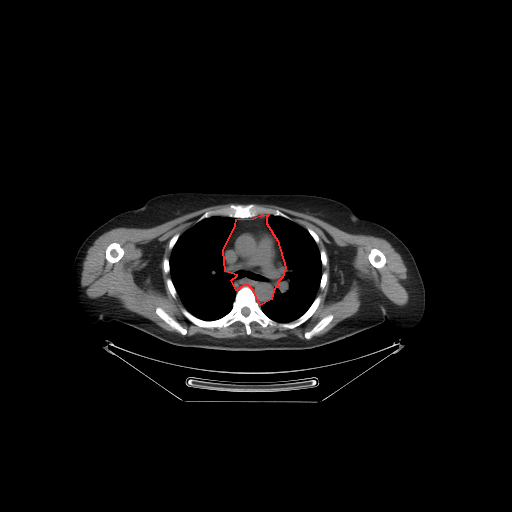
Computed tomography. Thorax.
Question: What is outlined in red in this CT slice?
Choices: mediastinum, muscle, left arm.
Answer: red: mediastinum.
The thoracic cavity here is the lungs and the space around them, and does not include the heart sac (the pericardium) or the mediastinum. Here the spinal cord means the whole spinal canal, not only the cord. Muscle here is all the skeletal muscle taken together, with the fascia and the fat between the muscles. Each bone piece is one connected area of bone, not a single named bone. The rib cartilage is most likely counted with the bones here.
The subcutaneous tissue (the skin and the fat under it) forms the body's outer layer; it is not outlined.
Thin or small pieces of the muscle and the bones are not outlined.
Outlined structures:
mediastinum: (262, 214) (268, 215) (266, 217) (266, 223) (277, 240) (285, 267) (282, 277) (277, 282) (277, 287) (276, 286) (273, 290) (271, 299) (260, 305) (253, 290) (248, 285) (243, 285) (236, 290) (231, 280) (237, 275) (225, 271) (223, 250) (235, 225) (236, 219) (253, 218)
right arm: (138, 208) (139, 208) (142, 216) (141, 229) (138, 234) (138, 237) (133, 250) (123, 268) (117, 283) (104, 305) (99, 320) (94, 323) (88, 324) (71, 317) (67, 313) (63, 306) (62, 291) (66, 285) (74, 261) (74, 258) (79, 247) (92, 231) (109, 219) (122, 212)
left arm: (356, 215) (360, 218) (367, 219) (375, 222) (391, 231) (406, 245) (412, 254) (420, 272) (425, 289) (424, 313) (420, 321) (415, 326) (410, 328) (402, 328) (395, 325) (388, 319) (386, 319) (385, 314) (380, 306) (370, 271) (363, 254) (361, 239) (359, 236) (355, 221)
muscle: (222, 204) (230, 204) (228, 206) (205, 211) (181, 234) (175, 233) (168, 241) (169, 258) (162, 259) (162, 270) (165, 274) (169, 273) (170, 277) (165, 280) (166, 287) (174, 299) (179, 297) (183, 305) (181, 313) (194, 325) (200, 328) (225, 328) (241, 322) (246, 334) (250, 335) (252, 322) (263, 328) (270, 326) (293, 329) (307, 321) (318, 308) (322, 298) (317, 295) (318, 290) (323, 290) (328, 281) (328, 273) (322, 271) (328, 263) (328, 256) (323, 248) (318, 247) (318, 234) (278, 209) (255, 204) (276, 205) (307, 213) (345, 232) (385, 239) (401, 256) (407, 268) (408, 302) (398, 306) (379, 290) (355, 276) (352, 264) (355, 250) (334, 245) (326, 246) (330, 260) (330, 280) (340, 289) (346, 290) (356, 279) (361, 287) (361, 303) (355, 314) (338, 322) (323, 334) (316, 335) (334, 318) (332, 313) (325, 315) (303, 333) (304, 339) (289, 336) (266, 339) (249, 335) (233, 338) (186, 335) (188, 330) (160, 306) (155, 308) (155, 313) (177, 333) (125, 308) (113, 297) (103, 295) (89, 298) (81, 285) (81, 273) (87, 251) (100, 235) (118, 227) (154, 227) (184, 214) with holes at (154, 242) (163, 243) (162, 245) (163, 250) (161, 255) (161, 259) (158, 265) (160, 269) (160, 283) (159, 284) (155, 284) (153, 282) (150, 274) (148, 273) (145, 274) (144, 273) (144, 270) (150, 262) (149, 258) (144, 257) (145, 250) (147, 246) (149, 246) (150, 244) and at (113, 242) (117, 242) (123, 248) (123, 249) (124, 250) (124, 253) (123, 254) (122, 257) (118, 261) (117, 261) (114, 263) (111, 263) (110, 262) (109, 262) (106, 259) (106, 258) (105, 257) (105, 251) (106, 250) (106, 248) (109, 245) (109, 244) (110, 244) and at (373, 248) (376, 248) (377, 249) (380, 250) (383, 253) (383, 254) (385, 256) (385, 259) (386, 260) (385, 261) (385, 264) (382, 267) (381, 267) (380, 268) (376, 268) (374, 266) (373, 266) (370, 263) (370, 262) (368, 259) (368, 255) (369, 254) (371, 249) (372, 249)
spinal cord: (245, 307) (246, 307) (247, 308) (248, 308) (249, 309) (249, 310) (249, 311) (249, 312) (249, 313) (248, 314) (247, 315) (246, 315) (245, 315) (244, 315) (243, 314) (242, 313) (242, 312) (242, 311) (242, 310) (242, 309) (243, 308) (244, 308)
bones 1: (243, 286) (252, 290) (261, 310) (279, 323) (297, 319) (318, 295) (321, 298) (311, 316) (293, 328) (270, 325) (263, 327) (256, 321) (249, 324) (250, 334) (247, 334) (241, 321) (225, 327) (200, 327) (182, 313) (182, 307) (205, 321) (219, 319) (232, 309) (236, 293), around a hole outlined by (245, 307) (246, 307) (247, 308) (248, 308) (249, 309) (249, 310) (249, 311) (249, 312) (249, 313) (248, 314) (247, 315) (246, 315) (245, 315) (244, 315) (243, 314) (242, 313) (242, 312) (242, 311) (242, 310) (242, 309) (243, 308) (244, 308)
bones 2: (231, 204) (254, 204) (258, 207) (278, 210) (289, 216) (291, 219) (288, 219) (279, 215) (264, 214) (262, 213) (253, 217) (247, 217) (246, 218) (239, 218) (238, 217) (235, 218) (229, 216) (213, 215) (209, 217) (206, 217) (196, 222) (197, 219) (205, 212) (226, 208)
bones 3: (157, 307) (160, 307) (161, 308) (162, 308) (171, 317) (172, 317) (174, 319) (175, 319) (184, 328) (185, 328) (187, 330) (187, 332) (186, 333) (186, 334) (185, 335) (182, 335) (181, 334) (180, 334) (175, 329) (174, 329) (167, 323) (166, 323) (156, 313) (155, 310)
bones 4: (113, 242) (117, 242) (123, 248) (123, 249) (124, 250) (124, 253) (123, 254) (122, 257) (118, 261) (117, 261) (114, 263) (111, 263) (110, 262) (109, 262) (106, 259) (106, 258) (105, 257) (105, 251) (106, 250) (106, 248) (109, 245) (109, 244) (110, 244)
bones 5: (329, 314) (332, 314) (333, 315) (333, 318) (331, 320) (331, 321) (322, 330) (321, 330) (318, 333) (317, 333) (315, 335) (314, 335) (311, 338) (310, 338) (309, 339) (306, 339) (304, 336) (304, 333) (307, 331) (309, 331) (322, 318) (323, 318) (325, 316) (326, 316)
bones 6: (373, 248) (376, 248) (377, 249) (380, 250) (383, 253) (383, 254) (385, 256) (385, 259) (386, 260) (385, 261) (385, 264) (382, 267) (381, 267) (380, 268) (376, 268) (374, 266) (373, 266) (370, 263) (370, 262) (368, 259) (368, 255) (369, 254) (371, 249) (372, 249)
bones 7: (167, 278) (170, 278) (171, 279) (171, 281) (172, 282) (172, 283) (175, 288) (175, 290) (177, 293) (177, 295) (175, 298) (174, 298) (172, 296) (172, 295) (170, 293) (170, 292) (167, 287) (167, 284) (166, 283) (166, 280) (167, 279)
bones 8: (322, 272) (326, 272) (327, 273) (327, 281) (326, 282) (326, 283) (325, 284) (325, 286) (323, 288) (323, 289) (320, 289) (320, 288) (319, 287) (320, 286) (320, 282) (321, 281) (321, 277) (322, 276)
bones 9: (322, 249) (323, 249) (325, 251) (325, 252) (326, 253) (326, 255) (327, 256) (327, 263) (326, 264) (326, 265) (325, 266) (323, 266) (322, 265) (322, 262) (321, 261) (321, 256) (320, 255) (320, 250) (321, 250)
bones 10: (164, 258) (168, 258) (168, 259) (169, 260) (169, 272) (168, 273) (165, 273) (164, 272) (164, 271) (163, 270) (163, 259)
bones 11: (177, 233) (179, 233) (180, 234) (180, 235) (178, 237) (178, 238) (176, 240) (176, 241) (175, 242) (175, 243) (173, 245) (173, 246) (172, 247) (172, 248) (171, 249) (171, 250) (170, 249) (169, 249) (169, 241) (170, 240) (170, 239) (175, 234) (176, 234)
bones 12: (307, 228) (310, 228) (312, 230) (313, 230) (317, 234) (317, 235) (318, 236) (318, 237) (319, 238) (319, 242) (318, 243) (317, 243) (315, 241) (315, 240) (313, 238) (313, 237) (309, 233) (309, 232) (307, 230)
thoracic cavity 1: (213, 216) (229, 217) (235, 219) (234, 225) (223, 247) (222, 254) (224, 260) (224, 271) (226, 273) (236, 275) (230, 280) (236, 292) (231, 309) (226, 314) (216, 319) (205, 320) (195, 316) (184, 306) (170, 276) (169, 259) (174, 245) (179, 237) (186, 230) (194, 224)
thoracic cavity 2: (269, 215) (279, 216) (291, 220) (306, 229) (317, 244) (322, 266) (319, 288) (316, 296) (308, 308) (300, 316) (287, 322) (279, 322) (272, 319) (261, 308) (262, 304) (272, 299) (274, 290) (278, 287) (278, 282) (283, 277) (286, 267) (278, 240) (267, 223) (267, 217)
torso: (174, 192) (310, 194) (331, 198) (345, 204) (355, 214) (354, 221) (360, 239) (362, 254) (379, 306) (384, 314) (384, 321) (381, 324) (349, 337) (311, 349) (231, 351) (176, 346) (117, 321) (100, 320) (105, 305) (118, 283) (142, 229) (143, 216) (140, 207) (154, 196)